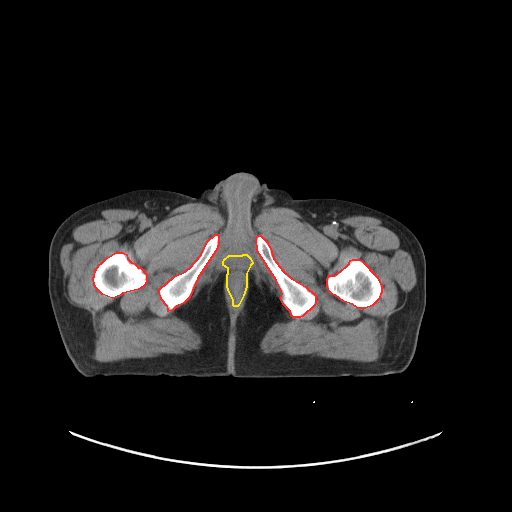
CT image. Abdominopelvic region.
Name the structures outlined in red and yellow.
red: bones; yellow: abdominal cavity.
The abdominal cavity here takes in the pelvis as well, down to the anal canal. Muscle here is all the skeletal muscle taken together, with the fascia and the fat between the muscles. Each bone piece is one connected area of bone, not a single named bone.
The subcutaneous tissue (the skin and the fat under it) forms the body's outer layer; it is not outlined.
The bones appear in 4 outlined pieces: piece 1: (352, 259) (358, 259) (361, 260) (377, 277) (381, 286) (381, 291) (378, 299) (372, 305) (365, 308) (358, 308) (352, 304) (343, 301) (335, 295) (332, 294) (329, 291) (327, 286) (327, 278) (328, 276) (329, 275) (334, 275) (336, 274) (346, 266) (349, 263) (350, 260); piece 2: (116, 252) (122, 252) (126, 254) (127, 258) (131, 262) (134, 263) (138, 267) (140, 267) (146, 274) (146, 282) (143, 286) (138, 289) (122, 293) (120, 295) (112, 298) (102, 294) (96, 288) (94, 285) (93, 277) (94, 276) (95, 270) (99, 264) (101, 263) (107, 257); piece 3: (258, 235) (260, 235) (266, 241) (270, 248) (273, 258) (282, 270) (291, 278) (305, 286) (315, 295) (315, 303) (314, 305) (302, 316) (300, 317) (293, 317) (291, 315) (290, 311) (283, 304) (280, 298) (282, 294) (281, 290) (276, 280) (257, 251) (256, 237); piece 4: (215, 234) (217, 234) (218, 235) (218, 245) (217, 246) (217, 248) (197, 278) (189, 297) (183, 303) (176, 306) (172, 310) (168, 311) (168, 308) (167, 306) (161, 299) (161, 297) (159, 293) (159, 289) (174, 276) (185, 271) (188, 268) (189, 268) (201, 254) (207, 241). The abdominal cavity is outlined by (243, 254) (246, 254) (250, 258) (252, 263) (250, 265) (246, 273) (246, 286) (243, 295) (238, 305) (237, 306) (234, 306) (233, 305) (233, 299) (229, 292) (227, 286) (227, 274) (228, 273) (228, 268) (223, 265) (223, 262) (224, 259) (229, 255) (242, 255). The muscle is outlined by (196, 202) (218, 208) (226, 222) (239, 226) (263, 209) (285, 207) (316, 221) (378, 216) (406, 236) (416, 284) (388, 319) (383, 355) (358, 362) (262, 353) (267, 330) (288, 319) (284, 306) (300, 318) (316, 295) (283, 270) (258, 234) (256, 251) (279, 297) (263, 282) (256, 285) (251, 272) (246, 304) (231, 316) (225, 270) (179, 310) (201, 336) (199, 349) (113, 362) (92, 359) (90, 315) (63, 291) (59, 255) (68, 234) (105, 209) (160, 216), around holes outlined by (352, 259) (358, 259) (361, 260) (377, 277) (381, 286) (381, 291) (378, 299) (372, 305) (365, 308) (358, 308) (352, 304) (343, 301) (335, 295) (332, 294) (329, 291) (327, 286) (327, 278) (328, 276) (329, 275) (334, 275) (336, 274) (346, 266) (349, 263) (350, 260) and by (116, 252) (122, 252) (126, 254) (127, 258) (131, 262) (134, 263) (138, 267) (140, 267) (146, 274) (146, 282) (143, 286) (138, 289) (122, 293) (120, 295) (112, 298) (102, 294) (96, 288) (94, 285) (93, 277) (94, 276) (95, 270) (99, 264) (101, 263) (107, 257) and by (215, 234) (217, 234) (218, 235) (218, 245) (217, 246) (217, 248) (197, 278) (189, 297) (183, 303) (176, 306) (172, 310) (168, 311) (168, 308) (167, 306) (161, 299) (161, 297) (159, 293) (159, 289) (174, 276) (185, 271) (188, 268) (189, 268) (201, 254) (207, 241) and by (243, 254) (246, 254) (250, 258) (252, 263) (250, 265) (246, 273) (246, 286) (243, 295) (238, 305) (237, 306) (234, 306) (233, 305) (233, 299) (229, 292) (227, 286) (227, 274) (228, 273) (228, 268) (223, 265) (223, 262) (224, 259) (229, 255) (242, 255). The torso is outlined by (239, 171) (249, 172) (270, 188) (283, 189) (296, 199) (336, 198) (375, 208) (412, 231) (425, 256) (426, 304) (415, 353) (404, 371) (364, 377) (165, 374) (86, 377) (74, 367) (63, 345) (48, 294) (48, 252) (59, 225) (86, 205) (128, 191) (155, 188) (196, 197).